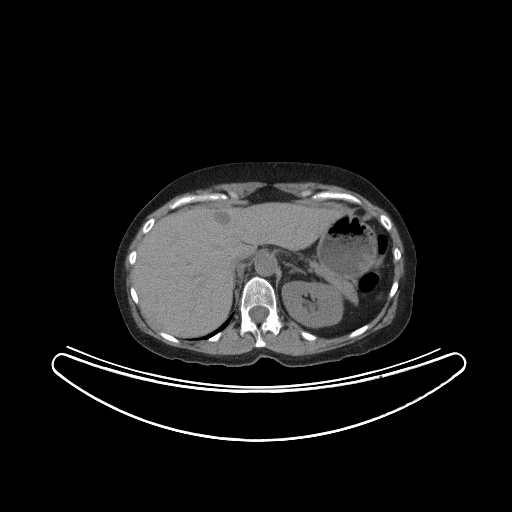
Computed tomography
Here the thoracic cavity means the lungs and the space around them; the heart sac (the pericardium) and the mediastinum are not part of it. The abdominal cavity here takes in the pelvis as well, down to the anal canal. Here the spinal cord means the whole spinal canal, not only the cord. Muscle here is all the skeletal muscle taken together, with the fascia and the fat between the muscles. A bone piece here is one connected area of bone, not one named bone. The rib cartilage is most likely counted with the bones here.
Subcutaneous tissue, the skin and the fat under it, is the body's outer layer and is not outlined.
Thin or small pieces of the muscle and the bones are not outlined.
spinal cord: 256 306; 261 306; 262 307; 264 307; 265 308; 266 308; 268 311; 268 313; 265 317; 264 320; 263 320; 259 323; 258 323; 257 322; 255 322; 251 318; 251 317; 250 316; 250 314; 249 313; 250 310; 252 308; 253 308
mediastinum: 265 253; 271 253; 273 255; 276 263; 277 275; 276 276; 275 291; 274 287; 267 279; 258 275; 254 275; 252 276; 244 284; 244 285; 243 285; 243 283; 242 282; 242 275; 243 274; 243 268; 244 266; 252 262; 257 256
abdominal cavity: 268 186; 311 200; 357 204; 379 221; 391 239; 393 279; 375 317; 334 337; 303 329; 278 305; 277 263; 271 252; 265 252; 243 266; 239 305; 217 329; 197 339; 179 339; 153 325; 140 307; 134 264; 155 222; 185 204; 237 201
bones 1: 254 276; 264 278; 273 287; 276 295; 277 312; 283 321; 283 326; 277 334; 274 334; 269 330; 262 334; 262 338; 265 342; 265 345; 263 347; 255 346; 256 338; 250 331; 246 331; 242 335; 240 334; 241 294; 245 284 with a hole at 256 306; 261 306; 262 307; 264 307; 265 308; 266 308; 268 311; 268 313; 265 317; 264 320; 263 320; 259 323; 258 323; 257 322; 255 322; 251 318; 251 317; 250 316; 250 314; 249 313; 250 310; 252 308; 253 308
bones 2: 229 191; 234 191; 238 195; 238 198; 237 199; 233 199; 229 197; 226 200; 218 199; 217 200; 193 201; 189 203; 185 203; 173 209; 169 209; 168 207; 168 205; 170 203; 181 197; 187 195; 198 195; 204 193; 225 193; 227 194
bones 3: 304 190; 310 190; 313 193; 318 191; 330 191; 331 192; 341 192; 342 193; 348 193; 357 197; 361 201; 361 203; 360 204; 358 204; 357 203; 354 203; 344 199; 337 199; 336 198; 311 199; 309 196; 301 196; 300 195; 300 193
bones 4: 381 214; 384 214; 385 215; 386 215; 390 219; 390 220; 391 221; 391 229; 390 230; 389 230; 388 231; 382 225; 382 224; 380 222; 380 215
bones 5: 365 324; 368 324; 369 325; 369 327; 365 331; 364 331; 362 333; 361 333; 358 335; 356 335; 353 337; 349 337; 349 334; 352 331; 353 331; 354 330; 355 330; 357 328; 358 328; 359 327; 360 327; 361 326; 362 326
bones 6: 150 218; 154 218; 155 221; 154 222; 154 223; 153 224; 153 225; 152 226; 151 229; 150 229; 149 230; 149 231; 148 231; 146 233; 143 233; 143 232; 142 231; 142 228; 143 227; 143 225; 144 224; 144 223; 147 220; 148 220
bones 7: 302 330; 304 330; 305 331; 306 331; 307 332; 309 332; 310 333; 311 333; 312 334; 313 334; 314 335; 315 335; 316 336; 316 339; 315 340; 308 340; 307 339; 305 339; 301 335; 301 334; 300 333; 300 332
bones 8: 160 331; 165 332; 166 333; 167 333; 168 334; 169 334; 170 335; 171 335; 172 336; 177 338; 179 340; 179 341; 178 342; 173 342; 170 340; 168 340; 167 339; 164 338; 162 336; 161 336; 160 335; 160 334; 159 333; 159 332
bones 9: 393 281; 397 281; 398 282; 398 287; 397 288; 397 289; 396 290; 395 293; 393 295; 393 296; 392 297; 389 298; 388 297; 388 294; 389 293; 389 291; 390 290; 390 288; 392 285; 392 283; 393 282
muscle 1: 391 219; 404 249; 404 275; 399 286; 400 293; 392 321; 350 344; 319 353; 288 355; 264 347; 266 342; 263 334; 269 331; 277 335; 284 326; 278 306; 286 318; 302 329; 299 333; 308 341; 315 341; 317 336; 334 338; 346 334; 353 338; 370 327; 368 323; 376 317; 386 300; 392 298; 399 287; 399 282; 393 280; 394 261; 398 261; 402 254; 398 247; 392 247; 388 232; 392 229
muscle 2: 143 223; 141 231; 145 235; 139 249; 137 252; 135 249; 131 250; 127 256; 129 264; 133 265; 134 286; 132 285; 129 291; 134 303; 139 304; 143 315; 159 330; 159 335; 173 343; 178 343; 180 340; 202 339; 216 342; 239 306; 239 334; 242 336; 250 332; 254 336; 255 347; 253 349; 233 355; 207 354; 171 346; 143 332; 137 326; 127 299; 125 284; 127 272; 124 263; 129 246
muscle 3: 248 181; 260 181; 269 184; 312 181; 341 186; 359 193; 379 206; 387 212; 390 218; 381 213; 378 220; 360 206; 362 201; 357 196; 348 192; 330 190; 313 192; 310 189; 304 189; 299 195; 296 195; 268 185; 259 187; 239 199; 239 195; 234 190; 229 190; 227 193; 204 192; 187 194; 170 202; 167 205; 169 210; 156 221; 154 217; 150 217; 145 221; 150 213; 181 193; 219 183
torso: 241 161; 297 161; 343 167; 369 180; 392 202; 406 224; 417 258; 412 312; 399 336; 365 354; 307 367; 288 367; 267 357; 251 365; 237 367; 186 363; 164 358; 131 336; 113 289; 115 256; 129 224; 156 193; 179 176; 210 165
thoracic cavity: 227 321; 229 322; 227 324; 227 325; 223 329; 221 330; 221 331; 218 331; 216 332; 214 334; 209 336; 206 339; 203 339; 202 338; 201 339; 198 339; 213 332; 215 330; 217 330; 218 328; 219 328